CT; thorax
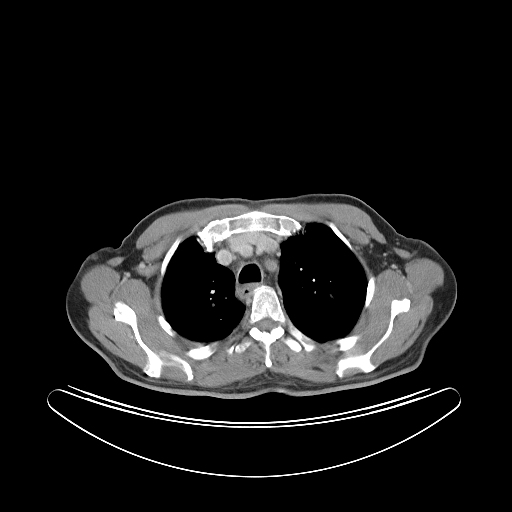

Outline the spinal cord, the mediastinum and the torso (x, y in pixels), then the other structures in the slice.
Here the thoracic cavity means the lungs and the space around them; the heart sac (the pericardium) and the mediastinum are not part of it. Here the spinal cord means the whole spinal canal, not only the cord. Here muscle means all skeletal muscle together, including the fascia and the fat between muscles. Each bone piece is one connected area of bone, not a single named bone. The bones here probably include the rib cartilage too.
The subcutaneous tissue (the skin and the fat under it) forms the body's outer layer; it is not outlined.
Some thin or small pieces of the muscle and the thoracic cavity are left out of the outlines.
{"spinal_cord":[[[267,317],[268,318],[270,318],[273,321],[274,321],[275,322],[275,326],[274,327],[273,327],[269,331],[266,331],[265,330],[261,330],[260,329],[259,329],[259,328],[256,324],[257,323],[257,322],[258,321],[261,320],[263,318],[266,318]]],"mediastinum":[[[244,232],[269,232],[279,237],[287,238],[280,245],[281,254],[277,281],[281,293],[281,300],[273,287],[262,284],[253,289],[249,307],[247,307],[235,296],[234,274],[227,267],[218,263],[214,254],[210,252],[213,250],[216,242],[222,241],[233,234]]],"torso":[[[311,192],[345,193],[361,199],[399,233],[427,242],[451,267],[457,283],[455,305],[412,371],[374,385],[319,395],[270,392],[242,399],[178,395],[120,378],[72,328],[65,296],[83,260],[103,246],[118,247],[133,227],[156,208],[186,197],[262,199]]],"bones":[{"outer":[[262,285],[270,286],[275,290],[282,307],[291,322],[302,333],[314,341],[316,345],[315,349],[311,351],[302,349],[295,352],[280,338],[278,338],[270,345],[271,366],[266,366],[265,349],[263,344],[248,334],[242,322],[246,309],[250,307],[254,289]],"hole":[[267,317],[268,318],[270,318],[273,321],[274,321],[275,322],[275,326],[274,327],[273,327],[269,331],[266,331],[265,330],[261,330],[260,329],[259,329],[259,328],[256,324],[257,323],[257,322],[258,321],[261,320],[263,318],[266,318]]},[[252,210],[263,211],[276,215],[285,215],[294,218],[304,226],[303,232],[299,232],[288,237],[279,236],[269,231],[236,232],[222,240],[216,241],[212,246],[212,250],[209,252],[205,251],[197,241],[195,234],[196,231],[203,228],[210,221],[239,215]],[[116,301],[122,301],[133,309],[141,339],[150,349],[156,353],[164,351],[175,354],[187,361],[193,374],[190,381],[187,381],[186,374],[176,366],[163,366],[159,377],[152,377],[143,372],[147,355],[137,342],[132,328],[115,319],[113,308]],[[404,297],[410,301],[409,309],[398,313],[394,317],[389,335],[370,357],[370,361],[377,365],[376,368],[366,373],[358,368],[347,368],[343,372],[343,376],[339,377],[335,372],[338,360],[349,355],[363,354],[368,351],[381,338],[388,327],[391,301]],[[214,341],[216,341],[216,344],[215,345],[215,350],[214,352],[211,355],[210,355],[206,358],[204,358],[203,359],[194,359],[188,356],[186,356],[185,354],[185,352],[189,349],[193,349],[200,345],[206,345]],[[354,334],[359,335],[359,338],[357,340],[355,344],[350,349],[349,349],[347,351],[342,351],[341,350],[338,350],[336,349],[338,347],[338,345],[334,342],[334,340],[336,339],[338,339],[339,338],[343,338],[348,335],[353,335]],[[179,236],[181,236],[182,237],[182,241],[178,245],[177,248],[175,250],[174,253],[172,255],[166,267],[166,269],[165,270],[165,273],[162,279],[161,279],[161,265],[162,264],[162,261],[167,251],[169,249],[171,245],[174,242],[176,238]],[[370,275],[373,275],[374,276],[374,282],[375,283],[375,286],[374,287],[374,292],[373,293],[373,296],[368,306],[366,308],[363,309],[363,307],[364,306],[364,303],[365,302],[365,297],[366,296],[366,290],[367,289],[367,283],[368,282],[368,278]],[[243,340],[249,340],[250,341],[251,341],[251,342],[250,343],[250,344],[242,352],[241,352],[240,353],[238,353],[237,352],[234,351],[231,354],[228,354],[226,352],[226,349],[228,347],[229,347],[232,344],[234,344],[235,343],[238,343]],[[327,221],[329,221],[330,222],[332,222],[336,226],[336,227],[345,236],[345,237],[349,241],[349,242],[351,244],[351,245],[352,246],[352,247],[353,248],[353,250],[352,251],[340,239],[340,238],[339,237],[338,237],[338,236],[326,224],[326,222]],[[160,314],[162,314],[164,316],[164,317],[165,318],[165,319],[168,322],[168,323],[171,326],[171,327],[176,332],[176,334],[174,336],[171,336],[169,334],[168,334],[161,327],[161,326],[159,324],[159,323],[158,322],[158,320],[157,319],[157,316]]],"muscle":[{"outer":[[297,202],[346,203],[368,214],[386,240],[386,243],[374,243],[366,257],[376,273],[415,257],[430,258],[442,267],[443,285],[432,311],[418,337],[393,367],[369,377],[324,383],[268,370],[216,387],[163,383],[129,370],[121,358],[106,349],[89,330],[86,322],[88,303],[80,289],[83,274],[91,266],[112,257],[124,257],[115,268],[130,273],[142,258],[135,246],[136,240],[158,217],[219,204],[255,207]],"holes":[[[252,210],[285,215],[304,226],[332,222],[351,244],[366,278],[374,276],[373,296],[348,334],[359,335],[350,349],[336,349],[338,345],[333,340],[315,340],[315,349],[295,352],[278,338],[270,345],[271,366],[267,367],[263,344],[248,334],[241,321],[228,335],[216,341],[211,355],[194,359],[185,352],[204,342],[178,333],[171,336],[161,327],[157,319],[163,313],[161,265],[176,238],[181,236],[184,241],[212,220]],[[116,301],[122,301],[133,309],[141,339],[150,349],[156,353],[164,351],[175,354],[187,361],[193,374],[190,381],[187,381],[186,374],[176,366],[163,366],[159,377],[152,377],[143,372],[147,355],[137,342],[132,328],[115,319],[113,308]],[[404,297],[410,301],[409,309],[398,313],[394,317],[389,335],[370,357],[370,361],[377,365],[376,368],[366,373],[358,368],[347,368],[343,372],[343,376],[339,377],[335,372],[338,360],[349,355],[363,354],[368,351],[381,338],[388,327],[391,301]],[[243,340],[249,340],[250,341],[251,341],[251,342],[250,343],[250,344],[242,352],[241,352],[240,353],[238,353],[237,352],[234,351],[231,354],[228,354],[226,352],[226,349],[228,347],[229,347],[232,344],[234,344],[235,343],[238,343]]]}],"thoracic_cavity":[[[309,223],[318,223],[327,226],[353,252],[361,264],[367,279],[363,306],[356,322],[349,333],[343,337],[323,342],[316,341],[306,335],[292,322],[283,307],[281,301],[282,293],[278,281],[281,264],[282,243],[291,236],[303,233],[305,226]],[[194,236],[205,252],[213,254],[216,262],[227,268],[233,274],[234,296],[247,308],[245,309],[240,323],[228,335],[206,344],[203,344],[205,343],[204,342],[198,342],[183,337],[177,333],[166,319],[161,303],[162,281],[167,267],[179,245],[186,239]]]}